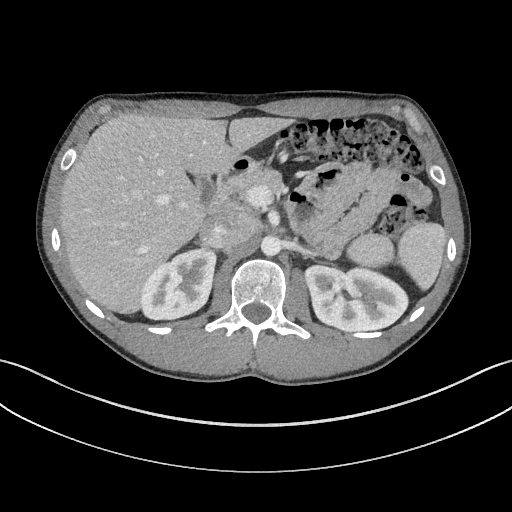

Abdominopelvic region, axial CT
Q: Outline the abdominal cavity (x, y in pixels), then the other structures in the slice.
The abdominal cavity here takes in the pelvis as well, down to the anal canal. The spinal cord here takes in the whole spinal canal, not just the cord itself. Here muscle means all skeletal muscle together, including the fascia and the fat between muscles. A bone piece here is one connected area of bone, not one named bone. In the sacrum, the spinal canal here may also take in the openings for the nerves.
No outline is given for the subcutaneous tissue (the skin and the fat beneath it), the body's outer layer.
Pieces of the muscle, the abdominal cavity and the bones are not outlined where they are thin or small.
A: The abdominal cavity is outlined by (344, 332) (384, 330) (409, 315) (446, 254) (439, 194) (401, 120) (377, 112) (122, 113) (90, 132) (64, 180) (60, 237) (78, 285) (103, 311) (161, 326) (200, 315) (222, 265) (231, 277) (242, 262) (259, 257) (277, 262) (286, 279) (300, 267) (312, 319). The torso is outlined by (286, 386) (323, 384) (377, 371) (423, 337) (457, 291) (471, 248) (469, 208) (456, 165) (427, 112) (405, 94) (342, 89) (258, 93) (106, 92) (87, 100) (58, 139) (44, 170) (36, 202) (38, 254) (64, 303) (100, 341) (124, 359) (154, 374) (194, 382) (253, 376). The muscle is outlined by (280, 379) (301, 379) (309, 377) (328, 376) (357, 369) (376, 362) (389, 354) (419, 330) (436, 311) (448, 292) (454, 275) (460, 264) (464, 247) (463, 218) (460, 208) (459, 195) (452, 173) (437, 139) (422, 114) (413, 104) (406, 100) (398, 98) (390, 98) (382, 100) (367, 100) (357, 98) (309, 97) (277, 100) (258, 105) (238, 105) (223, 101) (186, 100) (185, 99) (150, 99) (143, 101) (137, 101) (115, 98) (104, 98) (91, 104) (85, 109) (76, 121) (54, 160) (45, 193) (44, 209) (42, 218) (43, 243) (47, 257) (52, 265) (52, 268) (56, 276) (74, 304) (83, 316) (102, 333) (125, 350) (154, 366) (173, 371) (180, 371) (184, 373) (194, 373) (204, 375) (225, 375) (230, 373) (236, 373) (249, 368); inner edges: (254, 347) (265, 329) (304, 339) (310, 336) (282, 309) (286, 275) (294, 267) (303, 270) (312, 319) (356, 337) (377, 337) (407, 315) (413, 321) (424, 310) (422, 305) (414, 308) (417, 302) (435, 283) (445, 255) (452, 261) (456, 248) (453, 238) (447, 238) (439, 194) (431, 180) (444, 185) (444, 172) (437, 164) (426, 165) (403, 122) (377, 112) (313, 118) (255, 109) (219, 118) (122, 113) (95, 127) (79, 153) (73, 147) (67, 149) (59, 166) (70, 171) (60, 199) (60, 232) (52, 229) (51, 244) (58, 251) (62, 243) (70, 269) (87, 296) (87, 307) (101, 318) (105, 311) (167, 334) (169, 323) (207, 311) (215, 274) (224, 264) (231, 275) (231, 305) (205, 330) (225, 327) (229, 336) (246, 327), then (418, 133) (422, 131) (422, 128) (419, 121) (417, 119) (413, 111) (408, 107) (405, 107) (402, 109) (400, 106) (398, 106) (397, 105) (395, 106) (394, 105) (392, 107) (397, 111) (400, 111) (401, 110) (403, 112) (403, 114) (407, 120) (414, 127), then (100, 113) (104, 113) (106, 111) (107, 111) (110, 108) (110, 106) (109, 105) (105, 105) (104, 106) (101, 106) (98, 109) (98, 112) (99, 112). The spinal cord is outlined by (254, 323) (259, 323) (263, 321) (265, 319) (266, 319) (270, 315) (270, 310) (269, 308) (268, 308) (265, 305) (261, 303) (259, 303) (258, 302) (253, 302) (250, 304) (248, 304) (244, 306) (242, 308) (242, 313) (244, 315) (244, 316). The bones appear in 7 outlined pieces: piece 1: (254, 347) (258, 334) (265, 329) (272, 329) (281, 335) (293, 333) (304, 339) (310, 336) (307, 330) (283, 313) (286, 291) (283, 270) (277, 263) (259, 258) (248, 260) (236, 269) (230, 281) (229, 309) (205, 325) (207, 331) (225, 327) (227, 336) (246, 327) (252, 334) with a hole at (254, 323) (259, 323) (263, 321) (265, 319) (266, 319) (270, 315) (270, 310) (269, 308) (268, 308) (265, 305) (261, 303) (259, 303) (258, 302) (253, 302) (250, 304) (248, 304) (244, 306) (242, 308) (242, 313) (244, 315) (244, 316); piece 2: (418, 133) (422, 131) (422, 128) (419, 121) (417, 119) (413, 111) (408, 107) (405, 107) (402, 109) (400, 106) (398, 106) (397, 105) (395, 106) (394, 105) (392, 107) (397, 111) (400, 111) (401, 110) (403, 112) (403, 114) (407, 120) (414, 127); piece 3: (61, 170) (66, 170) (67, 169) (68, 169) (71, 166) (71, 165) (73, 163) (73, 162) (76, 159) (76, 158) (77, 157) (77, 151) (73, 147) (70, 147) (68, 149) (67, 149) (64, 153) (64, 154) (62, 156) (62, 158) (60, 161) (60, 165) (59, 166) (59, 167); piece 4: (442, 185) (444, 185) (446, 183) (446, 178) (445, 177) (445, 175) (444, 174) (444, 172) (443, 171) (442, 168) (437, 164) (432, 164) (431, 165) (429, 165) (427, 167) (427, 172) (428, 173) (428, 174) (432, 179) (435, 180) (437, 182) (438, 182) (440, 184) (441, 184); piece 5: (361, 338) (369, 338) (370, 337) (377, 337) (378, 336) (379, 336) (380, 335) (381, 335) (382, 334) (382, 331) (374, 331) (373, 332) (351, 332) (351, 333) (352, 334) (352, 335) (353, 336) (355, 336) (356, 337) (360, 337); piece 6: (101, 318) (103, 318) (104, 317) (104, 314) (103, 313) (103, 312) (93, 302) (92, 302) (88, 298) (86, 298) (85, 299) (85, 304) (87, 306) (87, 307) (94, 314) (95, 314) (96, 315) (97, 315) (99, 317) (100, 317); piece 7: (408, 321) (413, 321) (416, 318) (417, 318) (422, 313) (422, 312) (424, 310) (424, 306) (423, 306) (422, 305) (421, 306) (420, 306) (419, 307) (418, 307) (416, 309) (415, 309) (411, 313) (411, 314) (410, 315) (410, 316) (409, 317) (409, 318) (408, 319).